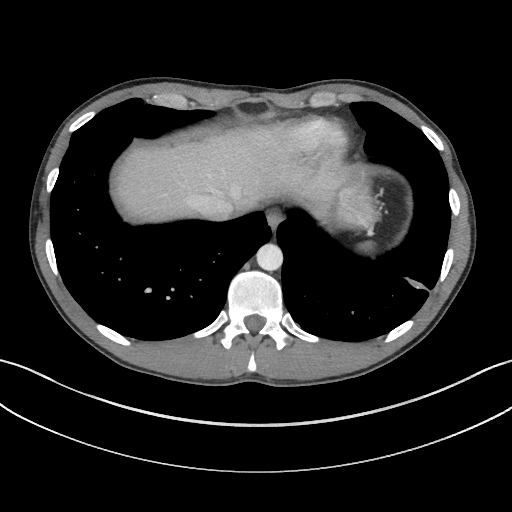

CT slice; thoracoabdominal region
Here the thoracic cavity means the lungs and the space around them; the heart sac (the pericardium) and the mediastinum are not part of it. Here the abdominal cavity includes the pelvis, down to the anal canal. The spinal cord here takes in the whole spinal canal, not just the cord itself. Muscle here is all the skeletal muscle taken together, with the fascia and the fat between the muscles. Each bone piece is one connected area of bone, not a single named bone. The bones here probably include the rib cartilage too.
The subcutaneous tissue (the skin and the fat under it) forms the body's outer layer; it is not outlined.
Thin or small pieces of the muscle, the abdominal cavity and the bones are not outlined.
The torso is outlined by (213, 387) (241, 382) (301, 387) (359, 377) (415, 346) (451, 305) (475, 255) (474, 203) (451, 141) (403, 95) (354, 78) (270, 87) (148, 76) (125, 80) (94, 94) (73, 109) (55, 130) (35, 177) (28, 217) (30, 257) (51, 303) (75, 333) (121, 367) (170, 381). The thoracic cavity appears in 2 outlined pieces: piece 1: (146, 340) (182, 336) (211, 322) (226, 306) (231, 278) (267, 241) (270, 229) (262, 212) (225, 222) (124, 223) (107, 194) (107, 173) (116, 156) (134, 136) (154, 137) (213, 113) (130, 98) (100, 111) (72, 134) (51, 193) (50, 229) (60, 274) (76, 301) (96, 321); piece 2: (345, 341) (385, 334) (415, 313) (437, 280) (450, 223) (448, 180) (438, 151) (418, 128) (371, 101) (351, 102) (350, 108) (367, 132) (364, 151) (402, 171) (413, 186) (415, 214) (404, 243) (376, 260) (361, 258) (298, 209) (289, 210) (277, 229) (286, 309) (303, 329). The mediastinum appears in 2 outlined pieces: piece 1: (280, 283) (283, 254) (277, 243) (276, 229) (278, 224) (282, 220) (286, 219) (287, 209) (281, 208) (280, 206) (271, 206) (263, 210) (263, 212) (266, 215) (267, 223) (271, 229) (271, 236) (268, 241) (262, 245) (240, 268) (238, 272) (252, 269) (261, 270) (276, 278); piece 2: (354, 151) (358, 150) (363, 151) (363, 142) (366, 132) (358, 124) (354, 114) (349, 108) (349, 103) (342, 103) (338, 106) (328, 106) (320, 108) (310, 107) (304, 107) (297, 109) (280, 108) (284, 110) (295, 110) (296, 109) (336, 110) (343, 113) (356, 129) (357, 135). The bones appear in 11 outlined pieces: piece 1: (277, 349) (287, 344) (286, 339) (291, 334) (310, 342) (318, 342) (320, 338) (303, 330) (292, 319) (283, 305) (278, 281) (257, 270) (237, 273) (228, 287) (226, 308) (211, 323) (190, 334) (199, 338) (221, 329) (220, 342) (226, 348) (237, 335) (250, 341) (268, 335); inner edge: (252, 333) (255, 333) (257, 332) (263, 326) (263, 325) (265, 323) (265, 318) (264, 317) (262, 317) (256, 314) (253, 314) (249, 316) (246, 316) (244, 318) (244, 323) (245, 325) (247, 327) (247, 328); piece 2: (311, 107) (320, 107) (321, 106) (327, 106) (328, 105) (338, 105) (339, 104) (338, 102) (339, 100) (342, 100) (343, 101) (346, 100) (357, 100) (359, 97) (357, 95) (345, 95) (344, 94) (337, 95) (332, 92) (319, 91) (313, 93) (310, 96) (308, 100) (308, 105); piece 3: (180, 109) (186, 109) (188, 108) (188, 106) (190, 104) (192, 104) (192, 102) (190, 102) (187, 99) (187, 98) (180, 94) (176, 94) (175, 93) (161, 93) (160, 94) (154, 94) (151, 97) (152, 101) (155, 104) (163, 105) (164, 106) (167, 106) (168, 107) (179, 108); piece 4: (123, 345) (129, 345) (130, 344) (130, 341) (125, 336) (118, 333) (116, 331) (115, 331) (114, 330) (113, 330) (112, 329) (111, 329) (100, 323) (97, 323) (96, 324) (96, 328) (102, 334) (103, 334) (111, 340) (112, 340) (115, 342) (117, 342) (120, 344) (122, 344); piece 5: (384, 342) (388, 342) (391, 340) (393, 340) (395, 338) (398, 337) (400, 335) (403, 334) (406, 331) (407, 331) (412, 326) (413, 324) (413, 320) (412, 319) (409, 319) (405, 321) (403, 323) (400, 324) (395, 328) (389, 331) (385, 335) (385, 337) (384, 338); piece 6: (437, 283) (441, 282) (445, 278) (450, 268) (450, 266) (452, 263) (452, 260) (453, 259) (453, 249) (451, 247) (448, 247) (445, 252) (445, 254) (443, 258) (443, 261) (442, 262) (442, 265) (441, 266) (441, 269) (440, 270) (440, 274) (439, 275); piece 7: (57, 276) (59, 276) (59, 272) (58, 271) (58, 268) (56, 264) (56, 260) (55, 259) (55, 254) (54, 253) (54, 250) (53, 249) (53, 245) (52, 244) (50, 237) (48, 237) (45, 240) (45, 251) (46, 252) (47, 259) (49, 262) (50, 267) (54, 274); piece 8: (440, 151) (443, 150) (443, 149) (444, 148) (443, 147) (442, 142) (441, 141) (441, 140) (439, 138) (439, 137) (437, 135) (437, 134) (431, 128) (430, 128) (425, 125) (420, 125) (419, 126) (419, 128) (428, 138) (428, 139) (435, 146) (435, 147) (438, 150) (439, 150); piece 9: (70, 132) (73, 132) (79, 127) (83, 125) (87, 121) (88, 121) (91, 118) (92, 118) (96, 114) (96, 112) (93, 110) (91, 111) (88, 111) (84, 113) (82, 115) (81, 115) (78, 118) (77, 118) (70, 125) (68, 129) (68, 130); piece 10: (452, 216) (456, 216) (458, 214) (458, 213) (459, 212) (459, 198) (458, 197) (458, 195) (457, 194) (457, 193) (456, 192) (456, 191) (455, 190) (455, 189) (454, 188) (453, 188) (452, 187) (450, 187) (449, 188) (449, 204) (450, 205) (450, 208) (451, 209) (451, 215); piece 11: (48, 193) (50, 193) (51, 192) (51, 191) (54, 186) (54, 184) (56, 181) (56, 179) (57, 178) (57, 176) (58, 175) (58, 173) (59, 172) (59, 167) (58, 166) (56, 166) (55, 167) (52, 168) (50, 170) (50, 171) (47, 176) (47, 180) (46, 181) (46, 191). The muscle is outlined by (300, 380) (347, 373) (381, 360) (420, 333) (453, 289) (469, 254) (470, 224) (466, 193) (442, 137) (445, 148) (439, 153) (449, 186) (460, 198) (460, 212) (451, 216) (447, 245) (454, 249) (454, 259) (446, 278) (429, 290) (411, 318) (413, 326) (403, 335) (388, 343) (383, 342) (384, 335) (359, 342) (321, 338) (318, 343) (291, 335) (281, 350) (268, 336) (256, 342) (237, 336) (226, 349) (219, 342) (219, 330) (199, 339) (189, 334) (160, 341) (127, 337) (131, 344) (123, 346) (95, 328) (97, 322) (71, 296) (60, 275) (51, 271) (44, 251) (44, 240) (50, 236) (46, 176) (52, 167) (59, 166) (72, 133) (67, 129) (81, 114) (92, 109) (97, 113) (130, 97) (153, 103) (150, 97) (161, 92) (184, 95) (193, 102) (189, 108) (242, 101) (297, 108) (308, 106) (313, 92) (327, 90) (357, 94) (358, 100) (379, 102) (417, 127) (429, 126) (396, 99) (353, 84) (325, 84) (292, 93) (250, 93) (147, 83) (109, 93) (77, 113) (51, 150) (39, 194) (35, 236) (41, 271) (71, 320) (113, 354) (148, 369) (224, 379) (251, 373) (246, 365) (253, 350) (254, 372). The pericardium is outlined by (310, 166) (331, 165) (334, 163) (339, 163) (353, 152) (356, 135) (355, 129) (352, 124) (343, 114) (336, 111) (296, 110) (278, 112) (273, 116) (270, 116) (260, 126) (257, 133) (257, 140) (261, 153) (272, 159) (283, 159) (289, 161) (290, 163) (305, 163) (306, 165). The abdominal cavity is outlined by (370, 259) (399, 247) (409, 232) (414, 214) (409, 180) (359, 151) (319, 167) (263, 156) (257, 129) (270, 115) (285, 111) (269, 102) (197, 108) (211, 110) (212, 116) (154, 138) (134, 137) (109, 170) (111, 202) (132, 226) (225, 221) (280, 205) (301, 209) (341, 246). The spinal cord is outlined by (252, 333) (255, 333) (257, 332) (263, 326) (263, 325) (265, 323) (265, 318) (264, 317) (262, 317) (256, 314) (253, 314) (249, 316) (246, 316) (244, 318) (244, 323) (245, 325) (247, 327) (247, 328).